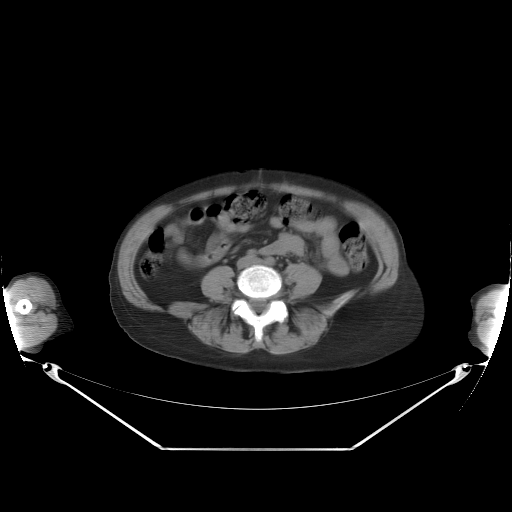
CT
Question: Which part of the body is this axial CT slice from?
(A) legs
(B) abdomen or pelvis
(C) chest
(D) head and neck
Answer: (B) abdomen or pelvis
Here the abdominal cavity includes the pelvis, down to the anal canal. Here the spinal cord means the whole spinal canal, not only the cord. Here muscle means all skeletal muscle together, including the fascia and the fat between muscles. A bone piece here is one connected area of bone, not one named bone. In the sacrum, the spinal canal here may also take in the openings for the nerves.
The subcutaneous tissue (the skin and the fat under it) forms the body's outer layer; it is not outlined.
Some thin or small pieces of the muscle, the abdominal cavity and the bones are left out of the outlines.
{"bones":[{"outer":[[254,264],[261,264],[271,267],[280,274],[282,286],[276,296],[285,303],[288,311],[287,317],[282,322],[275,321],[263,327],[261,341],[259,342],[255,340],[254,328],[238,315],[235,315],[231,310],[232,303],[241,295],[236,283],[238,275],[242,270]],"hole":[[249,299],[265,299],[266,300],[267,300],[268,301],[268,303],[267,304],[267,307],[262,312],[261,312],[260,313],[257,313],[256,312],[255,312],[251,308],[251,307],[250,306],[250,305],[249,304],[249,301],[248,300]]},[[349,291],[351,291],[353,292],[352,295],[349,298],[348,298],[344,302],[343,304],[342,304],[331,314],[328,314],[326,312],[327,311],[329,311],[331,310],[336,305],[337,303],[336,302],[336,300],[338,298],[339,298],[344,293],[346,292],[348,292]],[[21,299],[25,299],[26,300],[29,301],[31,303],[31,307],[29,309],[29,310],[26,313],[22,313],[21,312],[18,311],[16,309],[15,309],[16,308],[16,305],[17,304],[18,301],[19,301]]],"spinal_cord":[[[249,299],[265,299],[266,300],[267,300],[268,301],[268,303],[267,304],[267,307],[262,312],[261,312],[260,313],[257,313],[256,312],[255,312],[251,308],[251,307],[250,306],[250,305],[249,304],[249,301],[248,300]]],"left_arm":[[[493,282],[499,282],[505,285],[503,287],[499,298],[493,308],[493,313],[495,320],[488,335],[489,347],[487,355],[486,355],[483,352],[474,347],[469,342],[467,338],[467,330],[470,326],[470,321],[471,320],[471,308],[469,300],[471,295],[476,290]]],"right_arm":[[[28,271],[43,272],[53,280],[59,289],[62,302],[71,316],[74,324],[72,331],[62,334],[51,341],[48,341],[43,348],[37,353],[30,353],[22,350],[23,347],[21,346],[17,331],[16,318],[10,305],[9,296],[6,289],[6,284],[13,276]]],"abdominal_cavity":[[[249,188],[339,205],[361,226],[377,261],[374,275],[365,285],[313,301],[307,298],[322,274],[305,262],[288,263],[281,275],[254,263],[235,282],[232,267],[217,265],[200,280],[208,301],[175,300],[166,307],[151,301],[134,273],[148,234],[178,206]]],"muscle":[{"outer":[[250,182],[264,182],[265,183],[270,183],[271,182],[287,182],[291,184],[302,185],[303,186],[306,186],[315,189],[319,189],[325,192],[334,194],[344,199],[356,200],[365,203],[374,209],[388,224],[395,237],[397,243],[398,251],[399,252],[399,266],[398,267],[398,276],[395,283],[391,287],[384,291],[382,291],[373,295],[366,294],[358,299],[350,301],[340,308],[334,314],[331,319],[331,322],[329,324],[328,330],[320,337],[316,344],[311,347],[305,348],[287,354],[272,354],[261,348],[254,349],[246,353],[237,354],[236,353],[228,352],[219,348],[212,347],[202,343],[193,334],[192,334],[180,318],[178,318],[167,313],[145,310],[139,307],[137,307],[129,302],[123,295],[119,283],[119,279],[117,273],[118,254],[119,253],[119,250],[122,241],[125,237],[127,232],[132,225],[143,214],[155,206],[157,206],[160,204],[173,203],[184,197],[187,197],[192,194],[201,191],[204,191],[205,190],[208,190],[209,189],[212,189],[216,187],[224,186],[225,185],[240,185],[241,184],[249,183]],"hole":[[249,188],[339,205],[377,261],[371,279],[346,290],[352,295],[331,314],[344,293],[308,299],[322,274],[288,263],[276,296],[288,315],[264,326],[259,342],[231,310],[241,295],[229,265],[201,278],[208,301],[166,307],[134,273],[146,237],[178,206]]},{"outer":[[29,276],[36,276],[44,279],[52,288],[55,295],[55,299],[57,305],[54,311],[55,314],[57,316],[57,327],[55,331],[51,335],[40,343],[21,346],[21,342],[17,331],[16,318],[10,305],[8,292],[13,283],[16,280],[26,278]],"hole":[[21,299],[25,299],[26,300],[29,301],[31,303],[31,307],[29,309],[29,310],[26,313],[22,313],[21,312],[18,311],[16,309],[15,309],[16,308],[16,305],[17,304],[18,301],[19,301]]},[[493,289],[502,289],[499,298],[495,306],[493,308],[493,313],[494,314],[495,320],[492,326],[492,328],[488,335],[488,343],[489,344],[489,347],[478,338],[478,336],[476,333],[476,327],[477,324],[475,321],[475,306],[476,305],[476,302],[480,298]]],"torso":[[[259,166],[303,169],[345,180],[371,194],[392,214],[425,297],[425,323],[419,337],[411,345],[360,367],[333,372],[277,374],[230,372],[195,365],[155,353],[128,337],[112,313],[107,276],[115,242],[129,219],[146,203],[178,185],[223,170]]]}